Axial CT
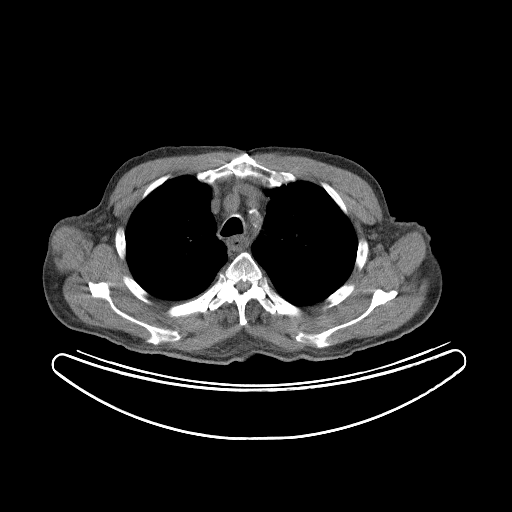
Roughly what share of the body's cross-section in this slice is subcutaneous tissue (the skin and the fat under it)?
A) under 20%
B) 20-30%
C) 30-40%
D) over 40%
Answer: A) under 20%
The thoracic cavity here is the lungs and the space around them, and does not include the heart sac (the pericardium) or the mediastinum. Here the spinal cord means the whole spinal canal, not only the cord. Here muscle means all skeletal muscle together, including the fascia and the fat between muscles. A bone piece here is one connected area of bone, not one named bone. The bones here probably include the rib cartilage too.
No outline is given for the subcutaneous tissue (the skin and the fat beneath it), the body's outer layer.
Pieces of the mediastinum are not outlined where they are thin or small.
The muscle is outlined by 212 151; 240 154; 195 174; 171 177; 167 173; 156 178; 143 191; 125 229; 121 225; 115 229; 115 250; 121 260; 126 260; 131 274; 121 278; 136 298; 149 305; 149 295; 179 302; 166 310; 174 318; 212 312; 234 302; 242 327; 248 322; 245 310; 252 299; 271 315; 298 318; 303 314; 302 306; 323 301; 321 307; 325 310; 352 293; 355 284; 346 281; 354 268; 360 271; 364 267; 368 240; 357 238; 345 202; 329 183; 298 179; 290 171; 259 163; 252 154; 279 152; 343 168; 369 184; 382 212; 378 224; 365 227; 372 249; 378 244; 390 246; 410 231; 421 233; 426 244; 423 265; 430 285; 420 310; 382 335; 321 348; 332 345; 328 338; 334 332; 359 322; 398 294; 396 289; 377 287; 358 316; 320 332; 299 331; 295 335; 297 342; 318 348; 290 352; 244 332; 201 353; 189 352; 144 344; 120 330; 78 320; 63 297; 53 262; 51 242; 55 231; 62 225; 73 225; 110 243; 117 218; 109 199; 127 171; 156 158; inner edge: 89 281; 107 282; 110 297; 114 305; 118 309; 137 320; 152 326; 175 330; 180 335; 180 338; 178 340; 171 342; 161 342; 158 344; 153 344; 152 343; 154 338; 146 328; 116 313; 112 309; 109 302; 104 298; 93 297; 89 289. The bones appear in 10 outlined pieces: piece 1: 244 251; 251 254; 274 290; 302 310; 300 316; 271 314; 253 298; 245 305; 247 322; 242 326; 239 324; 238 308; 234 301; 224 302; 212 311; 208 309; 206 312; 194 312; 176 317; 167 313; 170 306; 203 293; 216 280; 219 271 with a hole at 239 281; 243 281; 244 282; 245 282; 246 281; 247 281; 249 283; 249 284; 250 285; 249 286; 249 287; 246 290; 245 290; 244 291; 242 291; 241 292; 240 291; 239 291; 238 290; 238 289; 235 286; 235 285; piece 2: 245 152; 259 164; 275 171; 290 172; 297 179; 293 182; 289 182; 287 184; 283 184; 273 188; 265 186; 259 179; 252 176; 242 178; 232 174; 227 177; 218 178; 212 184; 208 184; 198 180; 196 177; 196 174; 198 172; 217 168; piece 3: 377 288; 380 288; 385 291; 393 289; 397 291; 397 294; 392 299; 376 306; 359 321; 334 331; 327 338; 331 345; 319 348; 313 345; 297 341; 295 339; 296 335; 299 332; 308 334; 320 333; 358 317; 368 308; 374 290; piece 4: 89 281; 107 282; 110 297; 114 305; 118 309; 137 320; 152 326; 175 330; 180 335; 180 338; 178 340; 171 342; 161 342; 158 344; 153 344; 152 343; 154 338; 146 328; 116 313; 112 309; 109 302; 104 298; 93 297; 89 289; piece 5: 345 283; 352 283; 354 284; 354 288; 351 292; 351 293; 346 298; 345 298; 338 304; 336 305; 334 305; 331 307; 329 307; 328 308; 323 309; 322 307; 325 304; 325 302; 324 300; 330 294; 334 292; 338 288; 339 288; piece 6: 123 275; 129 275; 131 276; 134 279; 134 280; 149 294; 147 297; 151 301; 151 303; 150 304; 148 303; 146 303; 142 301; 140 299; 136 297; 130 291; 130 290; 126 286; 126 285; 123 281; 123 279; 122 278; piece 7: 362 237; 365 238; 367 240; 367 242; 368 243; 368 252; 367 253; 367 258; 366 259; 366 261; 365 262; 363 267; 360 270; 358 270; 354 267; 354 264; 355 263; 355 260; 356 259; 356 255; 357 254; 357 247; 358 246; 358 240; piece 8: 119 226; 121 226; 124 229; 124 233; 125 234; 125 249; 126 250; 126 253; 125 254; 125 259; 121 259; 120 258; 120 257; 119 256; 119 255; 118 254; 118 253; 116 250; 116 247; 115 246; 115 232; 116 231; 116 229; piece 9: 321 181; 329 184; 338 193; 338 194; 340 196; 340 197; 342 199; 342 200; 344 202; 346 206; 346 208; 347 209; 347 215; 346 215; 341 210; 341 209; 338 206; 338 205; 333 200; 333 199; 328 194; 328 193; 320 185; 320 182; piece 10: 167 174; 170 175; 170 178; 167 179; 163 183; 162 183; 160 185; 156 187; 153 190; 152 190; 144 198; 141 199; 141 197; 144 191; 146 189; 146 188; 149 184; 150 184; 156 179; 164 175; 166 175. The spinal cord is outlined by 239 281; 243 281; 244 282; 245 282; 246 281; 247 281; 249 283; 249 284; 250 285; 249 286; 249 287; 246 290; 245 290; 244 291; 242 291; 241 292; 240 291; 239 291; 238 290; 238 289; 235 286; 235 285. The mediastinum is outlined by 232 175; 242 179; 252 177; 259 180; 268 188; 265 193; 269 197; 269 200; 259 236; 251 245; 251 253; 245 250; 241 251; 228 262; 226 246; 216 236; 217 226; 210 209; 212 197; 212 189; 210 185; 218 179; 227 178. The thoracic cavity appears in 2 outlined pieces: piece 1: 182 175; 195 175; 198 181; 210 186; 211 197; 209 209; 216 226; 215 236; 225 246; 227 263; 218 271; 215 280; 203 292; 195 297; 180 302; 156 297; 150 294; 135 280; 126 259; 127 250; 125 230; 130 216; 143 199; 167 180; piece 2: 297 180; 305 180; 319 185; 348 217; 357 239; 353 268; 345 282; 323 300; 301 306; 288 301; 275 290; 270 284; 269 278; 252 254; 252 245; 260 236; 264 225; 267 206; 270 200; 266 191; 268 189; 278 188; 283 185; 293 183. The torso is outlined by 165 145; 305 147; 355 161; 377 180; 397 220; 416 221; 429 233; 443 277; 435 309; 421 325; 397 339; 324 361; 287 362; 256 355; 227 365; 198 363; 129 351; 68 328; 51 312; 42 285; 52 227; 64 216; 96 206; 126 160.